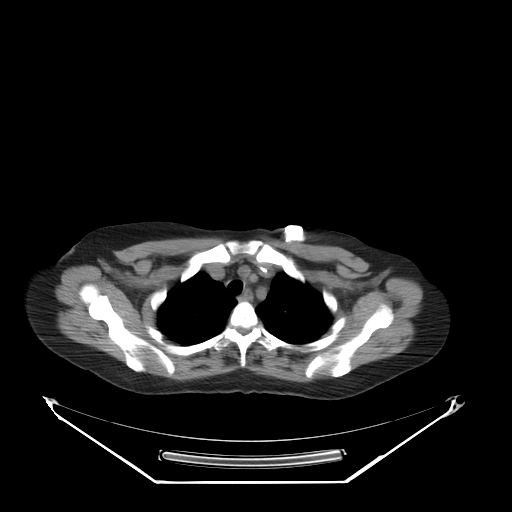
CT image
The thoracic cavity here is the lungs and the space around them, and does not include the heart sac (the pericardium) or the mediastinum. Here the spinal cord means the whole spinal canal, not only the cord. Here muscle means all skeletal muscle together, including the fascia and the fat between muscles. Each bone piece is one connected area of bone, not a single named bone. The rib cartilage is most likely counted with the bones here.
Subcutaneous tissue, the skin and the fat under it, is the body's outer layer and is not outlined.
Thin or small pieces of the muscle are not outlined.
{"right_arm":[[[74,244],[75,244],[76,248],[81,254],[81,257],[83,260],[84,298],[80,309],[71,325],[56,339],[48,345],[45,346],[38,339],[33,332],[26,317],[23,305],[23,286],[24,282],[29,271],[35,265],[42,262],[47,262],[58,258],[65,253]]],"mediastinum":[[[243,259],[257,264],[262,270],[264,269],[261,266],[262,264],[271,264],[281,268],[283,271],[279,271],[272,278],[270,288],[265,299],[255,307],[247,300],[237,302],[236,299],[228,293],[220,281],[213,279],[201,269],[202,267],[212,263],[227,265]]],"left_arm":[[[416,265],[420,268],[423,273],[428,278],[433,280],[442,287],[448,297],[450,307],[451,308],[451,325],[450,326],[449,334],[444,345],[436,355],[433,354],[424,344],[416,329],[416,327],[412,317],[412,313],[410,308],[411,280],[412,279],[413,267]]],"torso":[[[151,220],[175,221],[206,229],[308,225],[343,232],[369,245],[402,254],[416,264],[412,267],[410,280],[411,317],[423,344],[435,356],[363,393],[339,400],[239,392],[143,395],[114,386],[46,347],[72,325],[85,298],[84,260],[75,243],[101,226]]],"spinal_cord":[[[238,327],[242,327],[243,328],[247,328],[248,329],[250,329],[250,330],[249,331],[249,332],[248,332],[247,333],[246,333],[245,334],[241,334],[238,331],[238,330],[237,329],[237,328]]],"muscle":[[[262,235],[286,242],[339,246],[368,262],[370,271],[391,270],[417,281],[423,290],[423,305],[414,317],[416,338],[403,351],[352,370],[351,358],[356,350],[375,331],[387,328],[394,320],[392,308],[381,303],[358,333],[333,348],[337,352],[320,352],[307,364],[307,378],[327,366],[330,378],[297,382],[239,369],[179,381],[144,372],[145,364],[138,356],[142,348],[151,350],[172,375],[176,368],[167,353],[186,357],[210,348],[218,352],[232,342],[239,352],[239,365],[244,368],[247,351],[255,342],[269,352],[284,348],[309,353],[321,351],[337,339],[346,317],[342,315],[333,322],[332,314],[338,309],[334,294],[326,288],[321,292],[307,282],[292,257],[253,238]],[[214,236],[247,240],[228,239],[195,252],[173,286],[163,285],[150,296],[157,328],[145,329],[162,348],[129,330],[91,282],[80,287],[79,298],[91,318],[106,324],[124,363],[56,326],[61,304],[54,288],[68,267],[115,260],[113,250],[148,240]]],"bones":[{"outer":[[88,283],[108,297],[129,331],[160,349],[163,346],[150,336],[147,325],[159,330],[166,343],[200,343],[225,328],[241,301],[253,306],[271,334],[292,344],[328,335],[342,316],[345,323],[321,350],[269,351],[255,341],[246,351],[244,367],[232,341],[218,351],[210,347],[186,356],[167,352],[175,368],[172,374],[151,349],[142,347],[137,356],[145,370],[137,372],[126,365],[107,324],[91,317],[81,300],[79,291]],"hole":[[238,327],[242,327],[243,328],[247,328],[248,329],[250,329],[250,330],[249,331],[249,332],[248,332],[247,333],[246,333],[245,334],[241,334],[238,331],[238,330],[237,329],[237,328]]},[[251,239],[261,240],[292,258],[305,278],[304,283],[288,275],[276,264],[264,262],[260,265],[263,269],[260,268],[255,256],[245,253],[232,255],[227,264],[205,263],[191,277],[183,282],[180,281],[180,276],[189,258],[195,253],[228,240],[244,242]],[[381,304],[391,308],[393,320],[387,327],[375,330],[355,350],[350,358],[351,370],[349,372],[332,377],[329,372],[330,366],[327,365],[318,369],[311,377],[306,376],[305,369],[318,354],[327,351],[337,353],[338,350],[334,348],[358,334],[366,320]],[[163,286],[165,286],[167,289],[167,294],[166,295],[166,297],[163,301],[163,302],[159,306],[157,310],[156,311],[154,311],[152,309],[151,307],[151,305],[150,304],[150,299],[151,298],[151,296],[152,294],[155,291],[160,289]],[[323,289],[326,289],[327,291],[333,294],[333,295],[335,297],[337,301],[337,309],[336,311],[333,314],[331,313],[331,312],[329,310],[329,309],[327,307],[327,306],[324,302],[324,300],[323,299],[323,296],[322,295],[322,291]]],"thoracic_cavity":[[[200,270],[204,271],[213,280],[220,282],[223,285],[227,293],[235,299],[236,303],[230,311],[224,328],[220,332],[200,342],[188,345],[177,344],[164,335],[158,329],[157,311],[166,299],[168,291],[177,282],[179,281],[181,283],[183,283],[195,275]],[[279,272],[284,272],[291,278],[295,279],[303,284],[306,282],[321,293],[323,302],[332,316],[332,323],[322,336],[314,340],[304,343],[292,343],[277,337],[271,333],[265,327],[263,324],[263,322],[259,318],[255,308],[266,299],[271,288],[272,280]]]}